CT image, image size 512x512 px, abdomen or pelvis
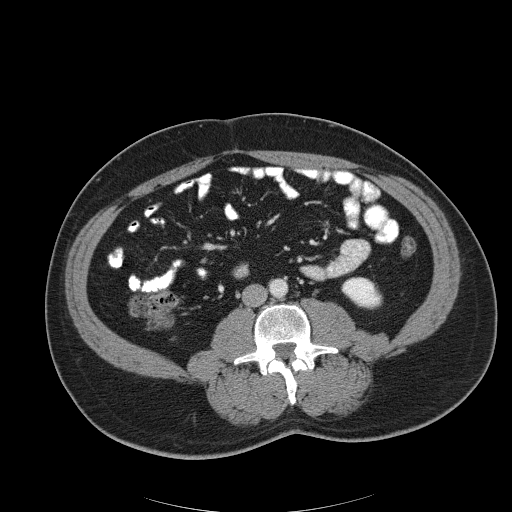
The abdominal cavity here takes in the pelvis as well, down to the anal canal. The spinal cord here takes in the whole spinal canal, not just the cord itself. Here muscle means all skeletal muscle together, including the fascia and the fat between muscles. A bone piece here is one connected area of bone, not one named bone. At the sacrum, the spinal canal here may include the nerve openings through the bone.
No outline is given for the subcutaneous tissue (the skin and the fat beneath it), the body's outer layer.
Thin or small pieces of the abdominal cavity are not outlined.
The bones are outlined by 280,303 296,304 305,312 312,343 333,346 338,350 336,353 318,355 312,369 293,373 297,383 296,401 293,405 287,397 285,379 279,372 263,375 255,361 233,363 237,357 256,349 253,330 258,314 266,306; inner edge: 280,343 294,343 294,344 295,345 295,346 293,349 293,357 290,357 287,359 283,359 280,357 277,357 277,356 276,355 276,351 273,348 273,346 275,344 279,344. The muscle is outlined by 235,148 334,156 400,176 418,186 436,203 453,232 459,252 461,276 456,299 445,321 427,338 409,345 406,351 390,358 379,358 374,363 373,383 366,401 342,419 327,422 294,406 288,407 276,419 267,423 246,427 232,425 212,409 204,390 196,383 138,375 117,368 102,359 80,337 69,314 64,286 67,254 88,220 100,209 148,179 196,158; inner edge: 230,154 362,175 413,215 431,248 429,289 391,339 357,328 335,301 301,299 311,342 338,352 293,373 293,405 279,372 233,363 256,349 250,308 232,309 210,348 182,367 116,333 88,299 94,251 127,204. The abdominal cavity is outlined by 230,154 362,175 413,215 431,248 431,282 391,339 357,328 335,301 304,297 302,308 280,302 256,317 248,307 232,309 215,326 210,348 192,354 182,367 122,337 96,315 88,299 88,271 118,214 128,203. The spinal cord is outlined by 280,343 294,343 294,344 295,345 295,346 293,349 293,357 290,357 287,359 283,359 280,357 277,357 277,356 276,355 276,351 273,348 273,346 275,344 279,344. The torso is outlined by 264,112 323,118 366,133 414,163 445,193 480,243 494,283 497,334 488,368 449,413 384,439 344,442 291,434 211,459 165,457 120,443 98,430 78,409 50,355 44,295 59,228 86,182 138,139 191,120.